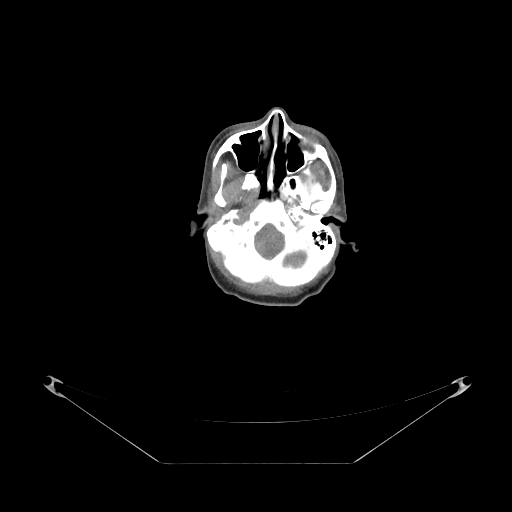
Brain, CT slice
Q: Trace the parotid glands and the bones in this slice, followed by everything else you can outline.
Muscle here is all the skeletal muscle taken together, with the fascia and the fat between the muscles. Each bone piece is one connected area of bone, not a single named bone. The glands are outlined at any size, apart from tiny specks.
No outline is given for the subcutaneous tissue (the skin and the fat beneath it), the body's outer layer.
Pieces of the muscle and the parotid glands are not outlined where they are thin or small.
A: The parotid glands are outlined by (208, 203) (209, 203) (210, 203) (211, 204) (211, 205) (211, 206) (212, 207) (211, 208) (211, 209) (210, 209) (209, 209) (208, 209) (207, 208) (206, 208) (206, 207) (206, 206) (206, 205) (207, 204). The bones appear in 2 outlined pieces: piece 1: (275, 108) (325, 148) (336, 180) (321, 219) (335, 235) (333, 256) (311, 280) (294, 286) (233, 275) (206, 236) (233, 208) (239, 216) (234, 221) (242, 223) (260, 197) (241, 188) (245, 171) (257, 164) (260, 132) (233, 146) (238, 165) (225, 152) (212, 170) (218, 149); inner edges: (267, 224) (270, 224) (272, 225) (275, 228) (275, 229) (282, 235) (282, 237) (283, 238) (283, 246) (282, 248) (277, 253) (276, 253) (272, 257) (270, 258) (267, 258) (263, 256) (256, 249) (256, 247) (255, 246) (255, 236) (256, 234) (265, 225), then (293, 138) (295, 138) (295, 145) (301, 153) (302, 163) (295, 169) (290, 170) (288, 167) (289, 159) (286, 158) (284, 160) (285, 173) (281, 178) (279, 184) (276, 186) (274, 176) (276, 169) (275, 156) (278, 146) (280, 143) (281, 151) (286, 154) (288, 151) (288, 146), then (317, 159) (319, 159) (321, 161) (322, 161) (322, 162) (326, 166) (326, 168) (329, 174) (329, 185) (326, 189) (324, 189) (323, 188) (323, 186) (322, 184) (316, 178) (315, 175) (311, 170) (311, 165) (312, 163) (315, 160), then (296, 252) (303, 252) (304, 253) (305, 255) (305, 257) (303, 261) (299, 265) (297, 265) (296, 266) (294, 265) (292, 265) (291, 264) (287, 264) (285, 265) (284, 264) (284, 259) (285, 257) (290, 254) (292, 254), then (264, 173) (265, 173) (265, 177) (266, 178) (266, 181) (265, 182) (265, 190) (266, 191) (266, 192) (268, 194) (268, 195) (267, 196) (261, 196) (260, 195) (260, 194) (261, 193) (261, 189) (262, 188) (262, 186) (261, 185) (261, 182) (260, 181) (260, 176) (261, 176); piece 2: (223, 163) (226, 163) (227, 165) (227, 172) (226, 173) (226, 176) (224, 179) (224, 181) (223, 182) (223, 185) (222, 186) (222, 195) (224, 199) (226, 201) (226, 205) (223, 207) (221, 207) (217, 205) (214, 202) (213, 198) (220, 184) (220, 174) (221, 173) (221, 165). The brain appears in 2 outlined pieces: piece 1: (267, 224) (270, 224) (272, 225) (275, 228) (275, 229) (282, 235) (282, 237) (283, 238) (283, 246) (282, 248) (277, 253) (276, 253) (272, 257) (270, 258) (267, 258) (263, 256) (256, 249) (256, 247) (255, 246) (255, 236) (256, 234) (265, 225); piece 2: (296, 252) (303, 252) (304, 253) (305, 255) (305, 257) (303, 261) (299, 265) (297, 265) (296, 266) (294, 265) (292, 265) (291, 264) (287, 264) (285, 265) (284, 264) (284, 259) (285, 257) (290, 254) (292, 254). The head is outlined by (274, 105) (295, 122) (319, 129) (336, 150) (347, 212) (341, 236) (359, 248) (355, 252) (342, 245) (331, 279) (318, 294) (295, 306) (260, 305) (226, 294) (208, 270) (202, 233) (187, 236) (190, 221) (205, 217) (197, 215) (196, 206) (210, 142) (223, 128) (257, 119); inner edges: (293, 138) (295, 138) (295, 145) (301, 153) (302, 163) (295, 169) (290, 170) (288, 167) (289, 159) (286, 158) (284, 160) (285, 173) (281, 178) (279, 184) (276, 186) (274, 176) (276, 169) (275, 156) (278, 146) (280, 143) (281, 151) (286, 154) (288, 151) (288, 146), then (257, 132) (259, 132) (259, 134) (256, 138) (257, 147) (258, 148) (258, 152) (256, 157) (256, 164) (254, 167) (250, 169) (245, 170) (240, 167) (239, 165) (239, 158) (234, 148) (234, 146) (242, 146) (243, 145) (242, 138) (244, 136) (246, 136) (250, 134) (253, 134), then (264, 173) (265, 173) (265, 177) (266, 178) (266, 181) (265, 182) (265, 190) (266, 191) (266, 192) (268, 194) (268, 195) (267, 196) (261, 196) (260, 195) (260, 194) (261, 193) (261, 189) (262, 188) (262, 186) (261, 185) (261, 182) (260, 181) (260, 176) (261, 176), then (323, 218) (332, 218) (334, 220) (335, 220) (330, 220) (327, 223) (324, 223) (322, 221) (322, 219). The muscle appears in 4 outlined pieces: piece 1: (245, 126) (254, 126) (236, 131) (222, 142) (211, 170) (225, 153) (230, 153) (235, 164) (244, 170) (240, 188) (254, 190) (259, 196) (257, 203) (242, 222) (235, 221) (240, 216) (239, 209) (233, 207) (210, 224) (214, 216) (212, 204) (207, 203) (211, 154) (227, 133) with a hole at (223, 163) (226, 163) (227, 165) (227, 172) (226, 173) (226, 176) (224, 179) (224, 181) (223, 182) (223, 185) (222, 186) (222, 195) (224, 199) (226, 201) (226, 205) (223, 207) (221, 207) (217, 205) (214, 202) (213, 198) (220, 184) (220, 174) (221, 173) (221, 165); piece 2: (208, 244) (215, 252) (219, 252) (221, 254) (223, 266) (233, 276) (244, 282) (252, 284) (267, 280) (284, 287) (303, 285) (311, 281) (324, 267) (331, 261) (331, 263) (328, 271) (314, 285) (295, 296) (279, 297) (271, 295) (255, 295) (238, 289) (223, 277) (212, 260); piece 3: (317, 159) (319, 159) (321, 161) (322, 161) (322, 162) (326, 166) (326, 168) (329, 174) (329, 185) (326, 189) (324, 189) (323, 188) (323, 186) (322, 184) (316, 178) (315, 175) (311, 170) (311, 165) (312, 163) (315, 160); piece 4: (305, 134) (323, 141) (328, 146) (334, 157) (338, 171) (337, 190) (338, 191) (338, 205) (339, 206) (339, 208) (335, 211) (328, 212) (334, 201) (334, 198) (336, 195) (336, 190) (337, 189) (336, 175) (332, 166) (328, 152) (326, 148) (321, 143) (308, 137).